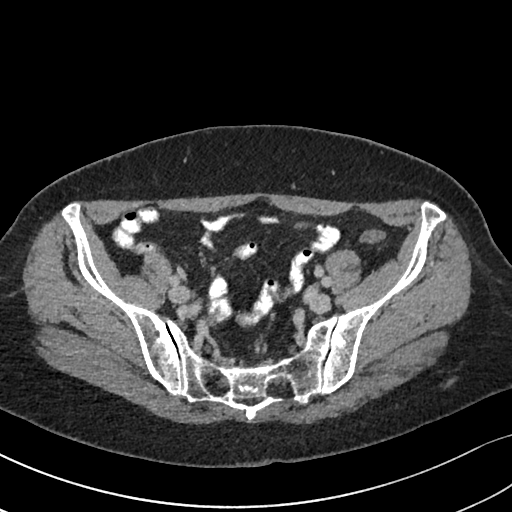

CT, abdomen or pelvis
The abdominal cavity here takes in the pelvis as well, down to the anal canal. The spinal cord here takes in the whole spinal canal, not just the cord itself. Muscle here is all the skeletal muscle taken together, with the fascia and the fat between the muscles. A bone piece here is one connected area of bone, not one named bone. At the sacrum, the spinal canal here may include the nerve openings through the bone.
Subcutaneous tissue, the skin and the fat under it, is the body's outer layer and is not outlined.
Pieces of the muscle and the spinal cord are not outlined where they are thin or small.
The spinal cord appears in 2 outlined pieces: piece 1: 202 366; 205 367; 206 369; 209 367; 216 369; 216 370; 219 372; 219 373; 225 379; 226 379; 227 381; 227 387; 222 393; 220 394; 212 394; 208 392; 204 388; 202 384; 202 382; 200 379; 200 373; 199 372; 199 369; 200 367; piece 2: 276 375; 280 376; 281 378; 282 377; 285 377; 287 378; 290 382; 293 389; 293 393; 289 398; 287 399; 275 399; 274 398; 270 397; 268 395; 267 393; 267 387; 266 386; 267 380; 268 378; 272 377; 273 376; 275 376. The abdominal cavity is outlined by 259 198; 314 217; 365 211; 407 236; 397 257; 361 280; 362 260; 354 249; 325 256; 338 310; 312 325; 296 352; 258 365; 217 364; 196 352; 179 324; 160 312; 172 265; 150 251; 139 274; 122 275; 94 230; 140 206; 216 213. The bones are outlined by 425 200; 447 217; 417 276; 367 322; 349 380; 301 404; 287 377; 270 376; 267 395; 283 400; 249 421; 151 376; 131 320; 83 277; 60 217; 80 204; 117 296; 173 320; 207 361; 258 366; 296 353; 318 321; 383 296; 408 265; inner edges: 202 366; 205 367; 206 369; 209 367; 216 369; 216 370; 219 372; 219 373; 225 379; 226 379; 227 381; 227 387; 222 393; 220 394; 212 394; 208 392; 204 388; 202 384; 202 382; 200 379; 200 373; 199 372; 199 369; 200 367, then 260 397; 261 397; 262 398; 260 400; 259 400; 257 402; 256 402; 255 403; 253 403; 252 404; 248 404; 247 403; 245 403; 244 402; 243 402; 242 401; 240 401; 239 400; 237 400; 239 400; 240 399; 244 399; 245 398; 259 398. The torso is outlined by 246 124; 302 125; 368 138; 430 162; 456 179; 476 201; 492 238; 511 263; 511 389; 366 447; 325 457; 289 463; 273 462; 257 467; 192 467; 122 455; 63 437; 1 410; 0 238; 20 209; 39 190; 62 175; 119 151; 198 128. The muscle appears in 2 outlined pieces: piece 1: 60 209; 79 272; 130 320; 150 376; 173 396; 243 410; 249 422; 272 403; 306 405; 350 380; 368 322; 421 272; 446 212; 470 250; 473 290; 466 313; 443 328; 437 362; 355 411; 312 423; 179 423; 36 353; 22 272; 31 239; piece 2: 253 192; 300 195; 348 202; 382 202; 416 197; 425 199; 419 205; 419 230; 410 258; 395 283; 378 299; 338 314; 339 309; 335 304; 336 295; 332 293; 331 281; 323 266; 326 256; 340 248; 354 250; 361 260; 361 281; 373 270; 397 258; 408 236; 406 229; 393 227; 365 210; 350 209; 337 215; 314 216; 286 211; 261 197; 216 212; 176 211; 148 204; 130 207; 111 222; 96 226; 93 231; 99 238; 105 253; 122 276; 139 275; 144 258; 150 252; 161 255; 171 265; 173 275; 163 295; 163 304; 159 310; 166 316; 163 319; 152 309; 124 300; 106 283; 94 262; 88 236; 80 219; 81 204; 75 200; 168 199.